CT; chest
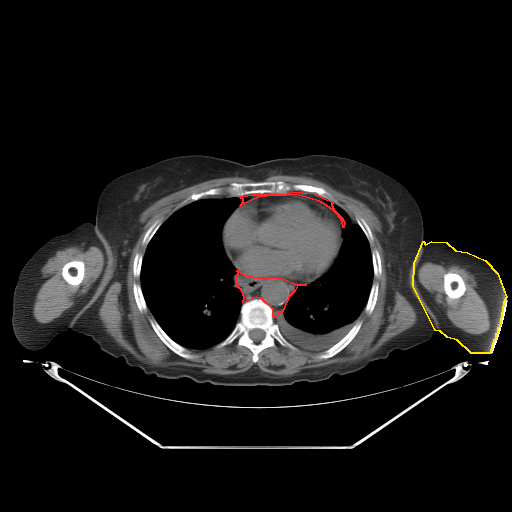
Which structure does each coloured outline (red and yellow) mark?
red: mediastinum; yellow: left arm.
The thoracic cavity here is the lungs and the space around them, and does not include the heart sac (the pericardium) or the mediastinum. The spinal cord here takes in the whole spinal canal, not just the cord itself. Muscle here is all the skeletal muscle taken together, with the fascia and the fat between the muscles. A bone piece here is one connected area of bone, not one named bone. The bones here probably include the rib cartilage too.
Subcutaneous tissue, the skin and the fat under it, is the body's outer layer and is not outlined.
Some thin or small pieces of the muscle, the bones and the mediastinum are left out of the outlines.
Outlines (x, y in pixels):
mediastinum 1: [[237,270],[246,276],[251,276],[254,278],[275,277],[283,278],[296,284],[306,284],[297,285],[294,291],[288,297],[281,313],[278,313],[275,317],[273,317],[273,309],[261,298],[256,297],[243,302],[244,297],[241,289],[236,286],[236,276],[238,273]]
mediastinum 2: [[292,191],[313,193],[333,202],[331,203],[331,205],[334,210],[342,218],[344,223],[343,227],[342,221],[336,213],[329,207],[319,201],[299,195],[273,194],[266,196],[260,196],[240,205],[243,201],[243,199],[240,197],[242,196],[252,194],[286,194]]
left arm: [[423,241],[425,244],[431,241],[446,242],[455,250],[467,252],[485,260],[497,273],[506,297],[503,302],[499,327],[497,328],[497,333],[495,334],[495,339],[493,340],[489,353],[471,353],[457,340],[447,337],[440,331],[435,330],[413,286],[414,263]]
muscle 1: [[277,174],[324,182],[361,201],[377,216],[381,229],[376,234],[386,265],[386,301],[392,302],[398,291],[413,306],[416,322],[359,361],[306,368],[288,376],[264,372],[256,365],[234,374],[207,373],[186,365],[155,366],[119,345],[106,331],[98,310],[113,281],[121,283],[122,294],[126,295],[131,251],[145,224],[140,220],[142,212],[155,201],[186,187],[234,176],[253,181],[231,181],[226,195],[218,195],[221,187],[192,192],[165,220],[157,218],[145,231],[141,241],[146,246],[144,253],[136,252],[133,257],[132,274],[139,278],[139,283],[132,284],[132,293],[138,310],[142,313],[148,309],[153,316],[149,323],[155,334],[172,352],[187,360],[197,356],[189,349],[220,349],[236,342],[238,347],[250,350],[254,363],[260,352],[277,343],[291,350],[297,347],[319,352],[314,356],[317,359],[328,359],[353,340],[363,323],[359,316],[363,310],[367,315],[372,313],[379,294],[379,284],[373,281],[382,274],[382,261],[379,251],[371,250],[371,228],[358,214],[357,222],[354,220],[322,186],[264,180]]
muscle 2: [[69,246],[92,246],[97,248],[102,253],[103,259],[101,274],[91,284],[87,292],[81,296],[76,297],[74,304],[65,310],[60,316],[50,322],[40,323],[33,316],[33,306],[37,292],[43,282],[41,277],[41,268],[47,260],[55,254],[57,250]]; inner edge: [[72,260],[81,260],[82,261],[83,261],[83,262],[84,263],[84,276],[83,277],[83,279],[81,281],[81,282],[78,285],[71,285],[70,284],[69,284],[63,278],[63,277],[62,276],[62,268],[63,267],[63,266],[66,263],[67,263]]
muscle 3: [[427,261],[437,264],[441,263],[457,264],[464,267],[474,275],[477,283],[476,290],[484,301],[488,311],[489,327],[486,331],[480,334],[471,334],[465,332],[458,327],[456,327],[449,320],[444,310],[439,306],[429,291],[419,282],[419,272],[423,263]] with a hole at [[448,272],[452,272],[453,273],[456,273],[458,274],[462,278],[465,284],[465,287],[466,289],[464,293],[460,297],[458,298],[451,298],[449,297],[445,293],[445,291],[444,290],[444,287],[443,286],[443,276],[444,274]]
thoracic cavity 1: [[229,197],[242,199],[240,204],[225,220],[221,230],[223,249],[237,272],[235,286],[240,289],[243,297],[239,310],[239,319],[230,333],[217,344],[204,349],[187,348],[169,336],[147,306],[140,284],[143,256],[155,233],[176,210],[202,198],[223,199]]
thoracic cavity 2: [[332,203],[345,211],[359,225],[366,237],[371,251],[373,280],[366,303],[350,329],[328,348],[322,351],[312,351],[298,347],[286,339],[274,321],[274,318],[282,313],[284,306],[297,286],[313,282],[327,272],[334,263],[343,241],[342,234],[345,223]]
pericardium: [[273,195],[299,196],[319,202],[333,211],[341,221],[342,241],[339,251],[333,263],[327,271],[309,283],[296,283],[283,277],[254,277],[251,275],[246,275],[234,266],[224,249],[222,241],[222,230],[229,216],[240,206],[252,200],[260,197]]
right arm: [[84,222],[93,223],[94,230],[104,242],[110,261],[110,264],[99,291],[72,330],[68,329],[60,333],[45,347],[41,349],[38,350],[27,349],[18,342],[13,333],[11,325],[12,298],[18,275],[25,263],[35,251],[44,243],[55,236],[70,231]]
bones 1: [[256,298],[261,299],[270,306],[273,321],[285,339],[295,346],[296,349],[282,346],[277,342],[275,346],[267,347],[260,351],[257,361],[254,362],[251,350],[246,346],[238,346],[236,341],[220,348],[216,347],[216,345],[231,333],[240,319],[242,304]], around a hole outlined by [[253,329],[260,329],[261,330],[262,330],[264,332],[264,337],[260,341],[259,341],[258,342],[255,342],[250,337],[250,336],[249,335],[249,332],[251,330],[252,330]]
bones 2: [[279,180],[283,181],[291,186],[294,184],[308,184],[309,185],[322,187],[331,194],[335,202],[322,197],[316,193],[306,192],[300,190],[291,190],[286,193],[252,193],[241,196],[232,196],[226,190],[228,185],[231,182],[259,182],[260,181],[278,181]]
bones 3: [[151,318],[154,318],[155,319],[161,328],[168,335],[169,337],[170,337],[178,344],[188,349],[192,353],[195,354],[196,356],[194,358],[192,358],[191,359],[187,359],[176,354],[173,351],[172,351],[159,338],[159,337],[154,331],[150,323],[150,319]]
bones 4: [[357,320],[361,320],[362,321],[361,326],[355,336],[352,339],[352,340],[343,349],[342,349],[335,355],[331,357],[329,357],[328,358],[317,358],[315,356],[318,353],[322,352],[328,349],[330,347],[337,343],[351,329],[351,328],[354,325],[355,322]]
bones 5: [[448,272],[452,272],[453,273],[456,273],[458,274],[462,278],[465,284],[465,287],[466,289],[464,293],[460,297],[458,298],[451,298],[449,297],[445,293],[445,291],[444,290],[444,287],[443,286],[443,276],[444,274]]
bones 6: [[72,260],[81,260],[82,261],[83,261],[83,262],[84,263],[84,276],[83,277],[83,279],[81,281],[81,282],[78,285],[71,285],[70,284],[69,284],[63,278],[63,277],[62,276],[62,268],[63,267],[63,266],[66,263],[67,263]]
bones 7: [[211,188],[221,188],[222,190],[220,194],[218,194],[217,195],[209,195],[205,197],[202,197],[201,198],[199,198],[193,201],[190,201],[183,205],[181,204],[181,203],[192,193],[197,193],[198,192],[205,191]]
bones 8: [[373,282],[376,282],[378,284],[378,294],[377,295],[377,299],[376,300],[376,303],[374,306],[373,310],[370,314],[367,314],[364,311],[364,308],[367,303],[367,301],[369,297],[369,294],[370,293],[370,291],[371,290],[371,287],[372,286]]
bones 9: [[135,282],[140,285],[141,291],[142,292],[142,294],[143,295],[143,297],[144,298],[144,300],[147,307],[147,310],[146,311],[143,311],[141,312],[139,310],[137,306],[137,304],[135,301],[135,298],[134,297],[134,294],[133,293],[133,284]]
bones 10: [[159,218],[161,218],[163,220],[162,223],[157,229],[157,230],[154,233],[154,234],[148,242],[147,245],[144,245],[143,244],[142,244],[142,241],[143,240],[143,238],[144,237],[144,235],[145,234],[146,231],[149,228],[149,227],[157,219],[158,219]]
bones 11: [[374,249],[376,249],[378,251],[378,252],[379,253],[379,255],[380,256],[380,260],[381,261],[381,274],[378,277],[375,277],[374,276],[374,270],[373,269],[373,262],[372,261],[372,250],[373,250]]
bones 12: [[357,215],[362,217],[365,220],[365,221],[369,226],[370,228],[370,230],[373,236],[373,241],[372,242],[369,242],[363,230],[360,227],[360,225],[357,223],[358,222],[358,220],[357,219]]
bones 13: [[136,253],[140,253],[141,254],[142,254],[142,261],[141,262],[141,267],[140,268],[140,274],[139,275],[139,277],[135,277],[134,276],[134,275],[133,274],[133,262],[134,261],[134,257],[135,256],[135,255],[136,254]]
spinal cord: [[253,329],[260,329],[261,330],[262,330],[264,332],[264,337],[260,341],[259,341],[258,342],[255,342],[250,337],[250,336],[249,335],[249,332],[251,330],[252,330]]
torso: [[188,154],[247,165],[309,154],[334,155],[357,160],[397,180],[413,196],[422,216],[423,240],[413,263],[412,286],[434,329],[432,337],[325,380],[239,386],[146,374],[101,350],[90,336],[74,331],[111,264],[105,242],[94,228],[100,193],[124,173]]